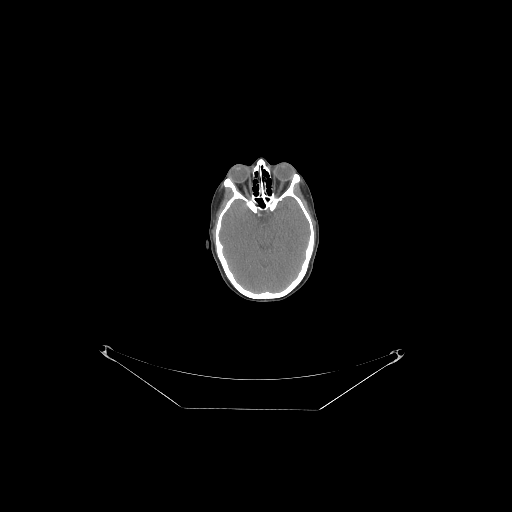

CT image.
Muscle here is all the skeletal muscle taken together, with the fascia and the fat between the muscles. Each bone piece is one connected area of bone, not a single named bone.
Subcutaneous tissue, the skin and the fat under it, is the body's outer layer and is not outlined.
{"muscle":[[[223,186],[226,188],[229,188],[230,189],[231,191],[231,195],[225,202],[222,209],[219,212],[217,216],[217,219],[214,228],[214,247],[215,248],[215,251],[213,246],[213,241],[212,240],[213,219],[216,211],[216,204],[217,203],[218,196]],[[300,181],[300,182],[302,184],[302,186],[305,190],[305,193],[307,196],[307,198],[309,202],[309,205],[312,212],[312,215],[315,221],[315,244],[315,229],[313,225],[313,222],[312,221],[311,216],[306,209],[302,200],[296,194],[295,192],[295,185]]],"brain":[[[287,197],[292,198],[296,202],[307,222],[308,236],[303,259],[295,276],[281,289],[275,291],[254,291],[245,287],[238,281],[225,256],[224,246],[220,239],[220,232],[224,215],[236,200],[240,200],[252,213],[260,216],[261,212],[273,212],[278,204]]],"head":[[[261,157],[271,164],[285,161],[296,168],[303,176],[311,191],[319,221],[320,241],[311,277],[305,286],[295,295],[284,301],[275,303],[249,302],[232,293],[222,281],[210,251],[205,249],[210,218],[210,203],[216,187],[232,165],[236,163],[250,164]]],"bones":[{"outer":[[261,157],[270,168],[271,182],[278,193],[289,185],[294,172],[299,175],[294,192],[310,216],[314,247],[305,275],[290,292],[258,299],[239,292],[227,278],[216,254],[215,228],[232,195],[231,189],[223,185],[224,179],[230,177],[246,194],[252,168]],"hole":[[287,197],[292,198],[296,202],[307,222],[308,236],[303,259],[295,276],[281,289],[275,291],[254,291],[245,287],[238,281],[225,256],[224,246],[220,239],[220,232],[224,215],[236,200],[240,200],[252,213],[260,216],[261,212],[273,212],[278,204]]}]}